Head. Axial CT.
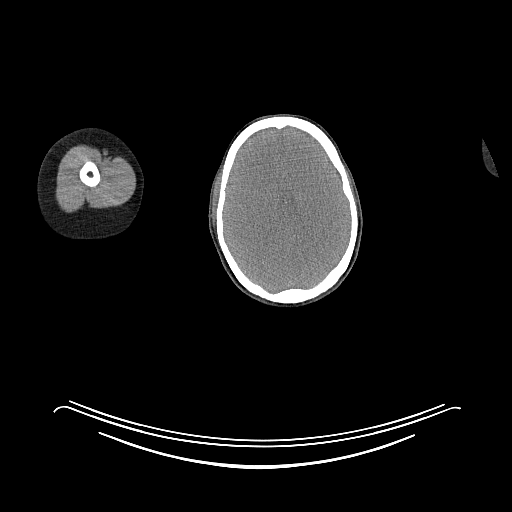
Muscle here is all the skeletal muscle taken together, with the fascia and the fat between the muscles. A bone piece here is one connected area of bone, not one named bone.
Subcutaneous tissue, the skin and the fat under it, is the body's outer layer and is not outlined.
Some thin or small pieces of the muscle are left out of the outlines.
Outlined structures:
right arm: 88,126 95,126 106,129 120,137 129,146 137,158 142,169 144,177 143,195 135,219 131,225 121,233 111,237 101,239 69,239 54,232 42,218 38,208 36,196 37,176 41,162 45,154 59,138 76,129
head: 275,113 293,113 307,116 321,124 329,132 351,170 358,190 363,215 359,251 350,273 341,285 327,297 310,305 297,308 264,305 243,294 232,283 225,272 208,228 210,187 228,144 236,132 250,120 261,115
muscle 1: 79,143 84,143 95,147 98,145 101,145 123,155 126,158 132,166 136,176 136,187 134,193 127,202 121,206 105,208 94,212 66,213 63,212 58,207 54,195 56,185 55,180 57,167 64,153 70,147 with a hole at 86,160 90,160 94,162 94,163 96,165 99,171 100,180 99,182 95,186 93,187 90,187 86,185 83,182 82,182 79,176 79,170 80,168 83,165 83,164 86,161
muscle 2: 222,166 221,169 221,175 220,176 219,190 218,191 218,197 217,198 217,203 216,204 216,209 215,210 215,219 216,220 215,221 215,231 212,222 212,201 213,200 213,191 214,190 214,186 215,185 217,176
muscle 3: 345,166 346,169 348,171 348,173 352,181 352,184 353,185 353,188 354,189 354,194 356,198 356,203 355,201 355,198 354,197 354,194 353,193 353,191 350,185 350,182 348,178 348,175 347,174
bones 1: 271,116 293,116 307,120 315,124 327,135 335,146 344,166 358,216 356,241 345,271 326,291 311,299 296,303 270,301 246,289 230,269 220,248 216,234 216,210 222,169 227,151 233,140 244,128 255,121 with a hole at 286,127 305,132 313,138 322,148 339,175 341,190 348,206 349,235 338,261 315,284 309,287 289,287 278,291 270,291 253,281 243,271 234,257 225,239 223,212 227,184 240,148 259,131 269,128 280,130
bones 2: 86,160 90,160 94,162 94,163 96,165 99,171 100,180 99,182 95,186 93,187 90,187 86,185 83,182 82,182 79,176 79,170 80,168 83,165 83,164 86,161
brain: 286,127 305,132 313,138 322,148 339,175 341,190 348,206 349,235 338,261 315,284 309,287 289,287 278,291 270,291 253,281 243,271 234,257 225,239 223,212 227,184 240,148 259,131 269,128 280,130
left arm: 481,139 482,139 485,143 487,147 487,149 490,154 490,156 493,161 493,163 495,166 495,168 497,172 497,177 495,177 489,172 488,172 483,165 482,159 481,158 481,151 480,150 480,147 481,146